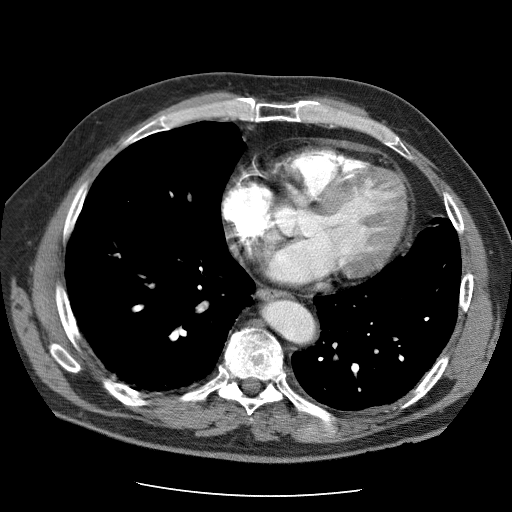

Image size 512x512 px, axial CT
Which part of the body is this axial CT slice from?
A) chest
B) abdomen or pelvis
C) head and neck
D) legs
A) chest
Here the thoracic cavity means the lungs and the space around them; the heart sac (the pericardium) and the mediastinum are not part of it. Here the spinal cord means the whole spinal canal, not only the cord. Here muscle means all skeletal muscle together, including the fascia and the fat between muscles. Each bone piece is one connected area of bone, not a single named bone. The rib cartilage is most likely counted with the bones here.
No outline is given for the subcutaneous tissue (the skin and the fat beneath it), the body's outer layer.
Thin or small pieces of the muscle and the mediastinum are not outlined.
{"muscle":[{"outer":[[217,90],[268,101],[236,95],[158,115],[120,143],[119,151],[90,186],[88,179],[79,185],[68,207],[62,229],[65,287],[58,281],[55,284],[54,299],[72,346],[80,353],[83,338],[116,377],[101,376],[102,387],[122,404],[133,407],[152,403],[154,393],[146,392],[184,389],[175,398],[179,402],[202,402],[215,394],[240,404],[250,423],[260,406],[286,399],[298,412],[320,419],[330,436],[337,431],[334,424],[338,418],[322,406],[369,415],[408,394],[399,405],[401,410],[421,399],[448,365],[450,356],[442,352],[454,331],[458,311],[465,313],[469,308],[474,275],[469,270],[462,275],[459,235],[465,224],[458,205],[447,190],[440,196],[412,162],[416,158],[400,137],[439,169],[438,174],[469,211],[487,254],[491,299],[493,309],[501,314],[501,329],[493,363],[473,391],[441,411],[363,437],[307,443],[288,435],[277,441],[258,441],[244,425],[219,435],[196,436],[188,429],[104,415],[72,403],[39,378],[12,319],[12,276],[19,286],[29,287],[29,268],[49,219],[97,154],[159,110]],"hole":[[52,342],[54,342],[55,343],[58,343],[60,345],[61,345],[79,364],[79,365],[81,367],[81,369],[77,373],[73,373],[72,372],[70,372],[69,371],[67,371],[63,367],[62,367],[56,361],[56,360],[51,355],[51,354],[49,351],[49,344]]},[[309,95],[318,95],[319,96],[326,95],[345,100],[350,103],[362,107],[374,119],[378,121],[383,121],[385,122],[386,125],[382,124],[371,118],[365,117],[359,114],[335,107],[316,99],[298,99],[289,103],[270,102],[271,101],[291,101],[299,97]]],"torso":[[[210,71],[334,76],[387,89],[433,122],[489,192],[511,236],[505,313],[492,365],[439,434],[414,443],[329,460],[246,463],[156,450],[108,437],[60,419],[39,392],[17,349],[3,297],[0,238],[7,198],[51,155],[70,130],[101,104],[166,78]]],"bones":[{"outer":[[245,327],[261,328],[276,338],[283,352],[283,369],[289,385],[337,418],[333,424],[336,431],[332,435],[320,418],[298,411],[286,398],[260,405],[250,415],[252,422],[240,403],[217,397],[215,393],[202,401],[176,400],[218,373],[227,340],[233,332]],"hole":[[247,378],[255,378],[256,379],[258,379],[261,382],[261,384],[262,385],[262,388],[256,394],[255,394],[254,395],[249,395],[248,394],[246,394],[242,390],[242,389],[241,388],[241,383],[242,382],[242,381],[243,380],[244,380],[245,379],[246,379]]},[[236,96],[253,97],[257,102],[277,104],[316,100],[371,119],[393,131],[415,158],[410,161],[375,137],[356,129],[339,126],[335,122],[307,123],[283,120],[255,122],[233,119],[229,115],[195,120],[158,131],[120,150],[121,143],[127,137],[162,114]],[[58,282],[60,283],[66,290],[66,293],[69,300],[71,310],[75,318],[78,329],[82,336],[82,339],[78,342],[81,349],[80,352],[73,346],[72,343],[68,338],[59,316],[59,313],[57,308],[57,304],[55,299],[55,288],[56,287],[56,284]],[[101,377],[108,377],[114,381],[123,382],[130,387],[138,391],[141,391],[142,392],[145,392],[146,393],[153,393],[149,397],[151,400],[151,403],[148,405],[139,405],[138,406],[126,405],[122,403],[113,396],[112,396],[103,387],[101,380],[100,379]],[[442,353],[443,354],[448,354],[449,356],[449,359],[448,360],[447,365],[444,369],[439,379],[421,398],[420,398],[411,405],[405,408],[401,409],[400,408],[400,405],[405,402],[410,397],[411,395],[409,393],[417,386],[425,374],[433,366],[437,358]],[[85,180],[88,180],[89,181],[88,184],[88,190],[83,201],[83,204],[81,210],[75,222],[73,230],[69,236],[66,245],[64,245],[63,244],[63,229],[64,228],[64,224],[65,223],[66,216],[69,207],[78,188]],[[52,342],[54,342],[55,343],[58,343],[60,345],[61,345],[79,364],[79,365],[81,367],[81,369],[77,373],[73,373],[72,372],[70,372],[69,371],[67,371],[63,367],[62,367],[56,361],[56,360],[51,355],[51,354],[49,351],[49,344]],[[444,190],[447,191],[451,195],[452,198],[454,200],[455,203],[457,205],[461,213],[462,219],[463,220],[463,223],[464,224],[464,230],[461,234],[458,234],[446,213],[446,210],[445,209],[445,207],[444,206],[444,204],[442,200],[442,191]],[[467,271],[469,271],[473,275],[473,287],[472,288],[472,294],[471,295],[471,299],[470,300],[470,302],[469,303],[468,308],[465,312],[463,312],[461,310],[458,310],[459,308],[459,295],[460,294],[460,285],[461,284],[461,278],[462,276]]],"mediastinum":[[[244,268],[264,281],[300,292],[327,292],[351,286],[331,293],[318,293],[312,298],[319,320],[319,337],[314,344],[294,351],[289,365],[284,361],[280,342],[266,329],[245,326],[233,331],[229,336],[236,318],[254,301],[251,295],[255,290],[255,282]],[[225,116],[255,123],[335,123],[365,133],[417,167],[441,198],[446,215],[431,218],[431,225],[417,233],[404,255],[398,255],[412,240],[424,202],[412,177],[397,160],[357,141],[298,135],[260,136],[237,164],[228,182],[246,144],[233,122],[212,119]]],"spinal_cord":[[[247,378],[255,378],[256,379],[258,379],[261,382],[261,384],[262,385],[262,388],[256,394],[255,394],[254,395],[249,395],[248,394],[246,394],[242,390],[242,389],[241,388],[241,383],[242,382],[242,381],[243,380],[244,380],[245,379],[246,379]]],"thoracic_cavity":[[[201,120],[233,123],[245,144],[223,190],[220,217],[229,252],[254,282],[250,295],[253,301],[241,310],[228,331],[222,361],[214,376],[186,391],[184,388],[142,391],[119,381],[92,352],[83,337],[66,289],[66,246],[89,188],[110,160],[147,136]],[[445,216],[457,233],[460,246],[457,317],[441,353],[416,386],[381,411],[369,414],[321,406],[293,388],[287,380],[284,362],[289,366],[294,352],[314,345],[320,337],[320,320],[313,298],[371,278],[396,257],[404,256],[418,233],[432,225],[431,219]]],"pericardium":[[[268,136],[313,137],[357,142],[380,150],[391,156],[411,177],[417,196],[423,202],[417,212],[416,223],[408,245],[371,277],[351,285],[339,286],[327,291],[300,291],[274,284],[250,273],[230,251],[222,223],[221,204],[226,186],[238,164],[260,137]]]}